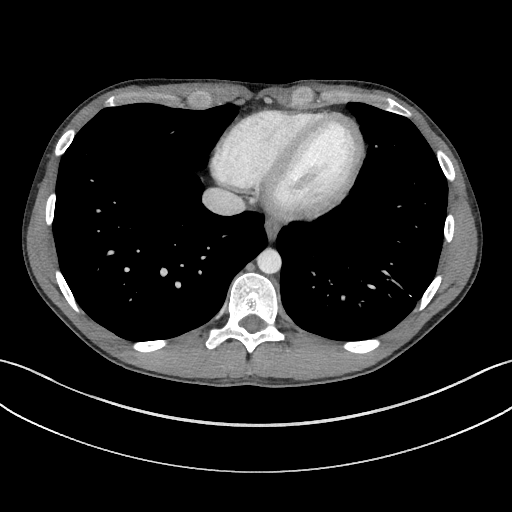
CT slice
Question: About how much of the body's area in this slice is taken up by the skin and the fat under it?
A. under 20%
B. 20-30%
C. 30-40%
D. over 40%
Answer: A. under 20%
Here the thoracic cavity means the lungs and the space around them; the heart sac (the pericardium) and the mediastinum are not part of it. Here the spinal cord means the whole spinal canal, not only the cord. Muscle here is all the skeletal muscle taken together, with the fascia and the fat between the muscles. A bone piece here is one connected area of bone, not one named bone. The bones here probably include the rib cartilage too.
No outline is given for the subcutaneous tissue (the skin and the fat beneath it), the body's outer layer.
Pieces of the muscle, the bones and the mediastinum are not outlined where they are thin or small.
Outlines (x, y in pixels):
spinal cord: 249 332; 254 332; 255 331; 257 331; 258 330; 260 330; 261 329; 264 328; 266 326; 266 323; 258 316; 257 316; 256 315; 254 315; 253 314; 251 314; 250 315; 248 315; 247 316; 244 317; 239 322; 239 324; 241 326; 244 327
muscle: 301 380; 341 375; 376 363; 415 335; 466 282; 477 233; 458 164; 447 145; 413 107; 394 95; 341 84; 270 87; 256 93; 228 83; 131 85; 109 91; 82 108; 63 131; 74 128; 77 133; 105 107; 107 97; 128 91; 144 95; 139 102; 184 108; 192 108; 185 99; 198 89; 212 96; 212 106; 261 100; 296 109; 344 103; 321 99; 323 91; 347 91; 350 101; 366 103; 374 94; 389 96; 408 108; 410 120; 435 154; 440 148; 449 156; 456 178; 447 181; 446 211; 455 217; 455 231; 451 242; 443 241; 436 271; 442 282; 422 311; 413 310; 377 337; 381 344; 376 349; 365 354; 348 352; 343 342; 304 331; 280 310; 276 326; 285 339; 262 343; 251 354; 235 339; 212 350; 205 347; 208 330; 222 325; 226 315; 168 339; 159 350; 142 353; 131 347; 132 341; 82 310; 76 313; 57 286; 57 254; 51 226; 44 220; 45 200; 55 191; 61 157; 53 149; 32 209; 27 248; 44 291; 82 333; 124 362; 170 375; inner edges: 300 105; 307 105; 309 103; 310 103; 311 102; 312 102; 314 100; 314 94; 313 93; 313 92; 310 89; 308 89; 307 90; 296 90; 294 92; 293 92; 293 93; 292 94; 292 102; 294 104; 295 103; 296 104; 299 104, then 168 100; 173 100; 174 99; 175 99; 176 98; 176 97; 175 96; 174 96; 173 95; 169 95; 168 94; 158 94; 156 96; 156 97; 157 97; 158 98; 163 98; 164 99; 167 99
pericardium: 284 223; 295 220; 313 220; 340 203; 349 192; 365 157; 365 142; 363 136; 357 122; 351 116; 340 110; 328 108; 319 110; 296 110; 260 107; 238 116; 220 136; 212 150; 208 166; 211 177; 218 185; 247 196; 252 203; 257 204
thoracic cavity 1: 133 341; 175 337; 208 322; 225 300; 233 277; 266 244; 261 214; 245 211; 220 216; 200 199; 203 186; 195 172; 204 169; 208 153; 235 115; 232 103; 204 110; 153 103; 104 108; 76 134; 61 158; 52 225; 60 269; 90 317
thoracic cavity 2: 340 341; 377 336; 397 324; 414 308; 435 275; 446 215; 446 180; 434 153; 417 128; 405 117; 360 102; 349 102; 348 107; 369 145; 349 194; 315 221; 296 221; 283 228; 277 238; 277 247; 283 258; 280 294; 285 313; 304 330
torso: 218 388; 293 388; 367 375; 419 341; 459 304; 471 287; 483 245; 474 192; 451 141; 404 94; 383 84; 356 79; 267 83; 219 78; 134 78; 90 95; 51 136; 29 190; 21 227; 23 260; 36 291; 83 342; 112 364; 154 378
bones 1: 249 353; 262 342; 279 341; 285 337; 275 326; 276 316; 282 309; 279 292; 269 279; 255 272; 238 273; 234 277; 226 300; 213 318; 219 319; 226 314; 227 319; 222 326; 212 327; 205 341; 206 347; 212 349; 228 338; 235 338, around a hole outlined by 249 332; 254 332; 255 331; 257 331; 258 330; 260 330; 261 329; 264 328; 266 326; 266 323; 258 316; 257 316; 256 315; 254 315; 253 314; 251 314; 250 315; 248 315; 247 316; 244 317; 239 322; 239 324; 241 326; 244 327
bones 2: 408 118; 411 116; 411 112; 408 109; 398 103; 395 100; 389 97; 380 97; 379 96; 370 95; 366 99; 366 101; 368 103; 372 105; 374 105; 377 107; 379 107; 384 110; 386 110; 390 112; 393 112; 394 113; 405 116
bones 3: 355 353; 365 353; 366 352; 368 352; 376 348; 380 344; 380 341; 379 339; 375 337; 374 338; 371 338; 370 339; 366 339; 365 340; 359 340; 358 341; 346 341; 344 342; 343 344; 343 348; 344 348; 348 351; 354 352
bones 4: 76 312; 79 312; 81 311; 81 308; 80 308; 77 304; 74 298; 74 296; 70 288; 68 286; 62 273; 59 269; 57 269; 55 271; 55 277; 56 278; 56 281; 58 284; 58 286; 60 290; 62 292; 63 295; 65 297; 69 305
bones 5: 106 107; 108 106; 116 106; 120 104; 125 104; 126 103; 132 103; 133 102; 138 102; 144 96; 143 96; 141 94; 137 92; 128 92; 127 93; 124 93; 123 94; 120 94; 119 95; 112 95; 105 100; 104 102; 104 104
bones 6: 193 109; 204 109; 205 108; 208 108; 209 107; 211 107; 211 103; 212 102; 212 98; 211 96; 207 92; 205 91; 201 91; 200 90; 198 90; 190 94; 187 97; 186 100; 188 104; 189 104; 193 108
bones 7: 416 310; 422 310; 427 305; 427 304; 433 297; 433 296; 436 292; 436 291; 441 282; 441 280; 442 279; 442 277; 440 274; 437 274; 433 278; 433 279; 431 281; 431 282; 423 293; 423 294; 419 301; 419 305; 414 309; 415 309
bones 8: 448 181; 452 181; 455 178; 455 172; 454 171; 454 169; 453 168; 453 165; 452 164; 450 159; 448 157; 448 156; 442 150; 441 150; 440 149; 438 149; 436 151; 436 157; 437 158; 437 160; 439 163; 439 165; 440 166; 446 179
bones 9: 142 352; 145 352; 146 351; 153 351; 154 350; 159 349; 166 345; 167 343; 167 340; 165 339; 157 339; 156 340; 148 340; 147 341; 135 341; 133 342; 132 344; 132 347; 135 350; 137 350; 138 351; 141 351
bones 10: 57 156; 60 156; 61 155; 62 155; 73 140; 73 138; 76 133; 76 132; 74 129; 69 129; 65 132; 64 132; 61 135; 61 136; 57 141; 57 142; 56 143; 56 145; 55 146; 55 148; 54 149; 54 152
bones 11: 300 105; 307 105; 309 103; 310 103; 311 102; 312 102; 314 100; 314 94; 313 93; 313 92; 310 89; 308 89; 307 90; 296 90; 294 92; 293 92; 293 93; 292 94; 292 102; 294 104; 295 103; 296 104; 299 104
bones 12: 48 225; 51 225; 52 224; 52 221; 53 220; 53 214; 54 213; 54 209; 55 208; 55 199; 56 198; 56 195; 55 194; 55 192; 52 192; 48 196; 48 197; 46 200; 46 203; 45 204; 45 220; 46 221; 46 223
bones 13: 446 242; 449 242; 450 241; 451 241; 451 240; 452 239; 452 237; 453 236; 453 232; 454 231; 454 217; 451 213; 448 213; 447 214; 447 215; 445 218; 445 222; 444 223; 444 227; 443 228; 443 235; 444 236; 444 240
bones 14: 345 102; 348 102; 349 101; 349 98; 351 96; 351 95; 347 92; 343 92; 342 91; 336 91; 335 92; 323 92; 320 94; 320 96; 321 98; 325 100; 328 100; 329 101; 335 101; 336 100; 341 100
mediastinum 1: 279 291; 282 258; 276 247; 276 238; 280 230; 292 222; 284 224; 252 204; 247 197; 218 186; 210 177; 207 166; 211 150; 205 169; 196 172; 204 186; 202 203; 220 215; 229 216; 252 210; 264 216; 267 244; 239 272; 263 274
mediastinum 2: 230 123; 231 123; 238 115; 243 113; 245 111; 248 111; 256 107; 259 107; 260 106; 261 107; 263 106; 277 106; 278 107; 281 107; 279 106; 276 106; 274 104; 268 105; 263 103; 261 101; 250 101; 241 105; 235 104; 237 107; 237 113
mediastinum 3: 356 121; 357 121; 355 117; 351 113; 347 107; 347 103; 345 103; 344 104; 334 104; 329 106; 325 106; 321 108; 314 108; 307 109; 319 109; 320 108; 327 108; 328 107; 329 108; 340 109; 342 111; 351 115; 352 117; 353 117; 356 120